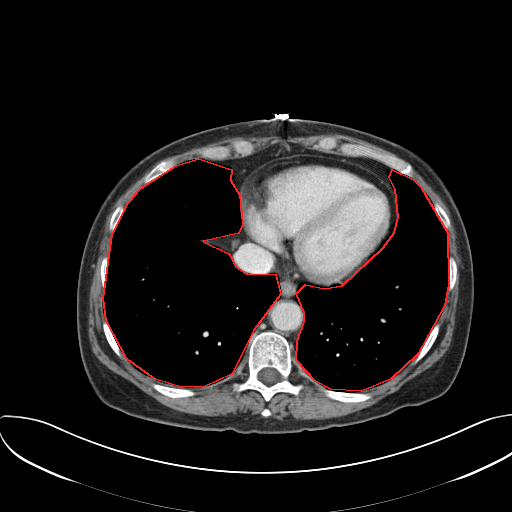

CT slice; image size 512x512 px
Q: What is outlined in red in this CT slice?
A: red: thoracic cavity.
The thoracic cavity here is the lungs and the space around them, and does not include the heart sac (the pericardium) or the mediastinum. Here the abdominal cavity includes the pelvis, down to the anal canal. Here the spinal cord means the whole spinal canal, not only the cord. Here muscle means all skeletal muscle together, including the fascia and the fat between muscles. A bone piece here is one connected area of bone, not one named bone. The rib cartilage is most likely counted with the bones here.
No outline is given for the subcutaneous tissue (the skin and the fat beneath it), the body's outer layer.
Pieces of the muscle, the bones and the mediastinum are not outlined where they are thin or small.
{"thoracic_cavity":[[[198,158],[231,169],[230,180],[239,194],[242,224],[238,233],[203,241],[228,253],[235,266],[246,273],[275,274],[280,294],[253,330],[231,374],[205,386],[181,387],[155,379],[127,359],[106,320],[103,298],[112,234],[129,201],[140,188],[176,165]],[[392,169],[413,179],[420,186],[447,232],[448,284],[444,305],[417,354],[390,379],[361,391],[330,389],[315,381],[296,360],[297,341],[304,321],[304,312],[296,293],[305,284],[324,288],[342,285],[383,247],[394,232],[398,217],[395,189],[389,177]]],"abdominal_cavity":[[[239,233],[239,235],[240,236],[240,241],[237,245],[236,248],[232,252],[231,255],[228,252],[221,249],[219,247],[215,245],[209,244],[204,241],[204,240],[207,240],[208,239],[211,239],[212,238],[222,238],[224,236],[226,236],[227,235],[235,235]]],"muscle":[[[155,164],[144,176],[143,185],[126,205],[117,205],[111,213],[108,226],[111,233],[109,250],[108,254],[101,258],[99,274],[105,318],[101,326],[105,339],[119,358],[127,360],[142,373],[163,383],[151,384],[157,392],[171,398],[192,397],[197,392],[189,388],[217,383],[231,375],[244,361],[247,375],[243,380],[232,382],[231,388],[234,393],[253,390],[258,392],[266,403],[277,393],[297,397],[304,384],[290,380],[295,359],[315,382],[329,389],[322,391],[326,397],[344,403],[358,403],[372,397],[370,392],[362,391],[390,380],[410,363],[412,365],[418,363],[430,350],[439,334],[438,320],[447,293],[455,285],[458,267],[455,258],[449,255],[447,231],[450,229],[449,216],[437,201],[433,203],[431,201],[414,179],[413,167],[446,204],[456,231],[461,269],[455,324],[448,349],[429,368],[396,391],[370,406],[337,417],[280,420],[268,417],[272,412],[267,406],[260,412],[264,417],[250,415],[217,417],[191,414],[162,404],[99,361],[91,349],[88,338],[89,291],[98,243],[107,215],[114,202]],[[330,133],[331,134],[337,133],[352,136],[377,145],[393,153],[377,150],[360,143],[355,143],[349,141],[339,141],[334,136],[324,136],[312,144],[311,146],[312,149],[293,142],[282,141],[276,142],[257,152],[255,152],[255,145],[251,141],[245,139],[237,139],[234,140],[229,145],[222,144],[214,146],[206,146],[198,151],[199,157],[188,159],[179,163],[173,158],[162,159],[227,137],[234,136],[304,137]]],"torso":[[[272,118],[326,120],[361,128],[426,155],[439,168],[464,221],[474,268],[469,336],[453,383],[444,394],[420,405],[406,406],[363,423],[299,433],[200,431],[147,421],[106,405],[84,371],[75,319],[81,254],[102,201],[126,170],[167,142],[216,125]]],"pericardium":[[[302,155],[317,155],[343,159],[369,168],[388,185],[396,205],[397,217],[391,235],[382,247],[357,272],[342,284],[330,287],[316,286],[304,283],[291,277],[271,252],[263,245],[250,239],[244,233],[241,216],[241,185],[249,173],[274,160]]],"spinal_cord":[[[264,368],[273,368],[274,369],[275,369],[279,373],[279,374],[280,375],[280,379],[278,381],[277,381],[275,383],[274,383],[271,385],[267,385],[266,384],[265,384],[264,383],[263,383],[258,378],[258,374],[259,373],[259,372],[262,369],[263,369]]],"mediastinum":[[[242,228],[250,240],[263,246],[277,259],[291,278],[304,284],[295,293],[295,299],[303,312],[303,321],[296,341],[296,359],[292,356],[292,346],[283,335],[272,330],[252,334],[281,292],[275,273],[246,272],[234,263],[231,256],[241,241]],[[282,142],[293,143],[321,153],[369,159],[383,163],[391,169],[388,177],[394,189],[395,202],[389,185],[369,167],[343,158],[302,154],[274,159],[249,172],[240,185],[240,210],[240,194],[236,184],[231,180],[233,177],[232,169],[211,161],[245,158]]],"bones":[{"outer":[[263,331],[272,331],[283,336],[291,346],[292,371],[289,380],[295,384],[303,384],[303,388],[297,396],[287,392],[277,392],[266,402],[263,396],[256,390],[247,389],[239,393],[233,391],[233,382],[243,381],[248,375],[246,361],[249,340],[252,335]],"hole":[[264,368],[273,368],[274,369],[275,369],[279,373],[279,374],[280,375],[280,379],[278,381],[277,381],[275,383],[274,383],[271,385],[267,385],[266,384],[265,384],[264,383],[263,383],[258,378],[258,374],[259,373],[259,372],[262,369],[263,369]]},[[324,137],[334,137],[339,142],[349,142],[355,144],[360,144],[377,151],[393,154],[411,165],[413,169],[413,178],[391,168],[379,160],[370,157],[344,155],[338,153],[336,149],[334,150],[323,150],[322,151],[313,149],[312,148],[313,144]],[[237,140],[245,140],[251,142],[254,145],[254,152],[249,155],[237,156],[234,153],[232,153],[228,158],[225,159],[208,159],[207,158],[202,158],[200,157],[199,151],[206,147],[214,147],[215,146],[221,146],[222,145],[228,145],[229,146],[234,141]],[[324,390],[333,390],[334,391],[340,391],[341,392],[365,392],[366,393],[370,393],[371,394],[371,397],[366,400],[364,400],[363,401],[359,401],[358,402],[344,402],[343,401],[339,401],[338,400],[335,400],[334,399],[332,399],[326,396],[323,392]],[[153,383],[159,383],[160,384],[163,384],[164,385],[170,386],[171,387],[180,387],[181,388],[188,388],[189,389],[191,389],[195,391],[196,393],[192,396],[187,396],[186,397],[171,397],[170,396],[167,396],[157,391],[152,386],[152,384]],[[167,159],[173,159],[177,163],[177,164],[176,164],[170,170],[169,170],[167,172],[166,172],[165,173],[154,178],[149,182],[144,184],[143,183],[143,180],[144,179],[145,176],[156,165],[156,164],[157,164],[160,161],[161,161],[162,160],[166,160]],[[437,322],[439,324],[439,331],[438,332],[438,334],[434,342],[432,344],[431,347],[426,353],[426,354],[418,362],[414,364],[412,364],[411,363],[412,360],[418,354],[418,353],[422,348],[428,336],[430,334],[432,329],[434,327],[435,324]],[[104,321],[106,321],[112,333],[112,335],[117,345],[119,347],[119,349],[124,355],[126,359],[123,359],[119,357],[113,351],[113,350],[109,345],[106,339],[105,334],[103,331],[103,327],[102,326],[102,324]],[[449,256],[452,256],[454,258],[454,259],[455,260],[455,262],[456,263],[456,266],[457,267],[457,274],[456,275],[456,279],[455,280],[455,282],[454,283],[454,285],[453,286],[453,287],[452,288],[452,289],[449,292],[448,292],[448,285],[449,284]],[[119,205],[122,205],[124,207],[124,209],[123,210],[122,215],[121,216],[121,217],[120,218],[115,229],[112,232],[112,233],[111,232],[110,232],[110,231],[109,230],[109,226],[110,225],[110,219],[111,218],[112,213],[117,207],[117,206],[118,206]],[[435,202],[437,202],[443,208],[446,214],[448,216],[448,218],[449,219],[449,229],[448,230],[447,230],[444,227],[444,226],[442,224],[442,223],[440,221],[440,220],[438,218],[436,214],[436,212],[434,208],[434,205],[433,204]],[[105,255],[107,255],[108,257],[108,262],[107,263],[107,276],[106,277],[106,281],[105,282],[105,287],[104,289],[103,289],[102,287],[102,284],[101,283],[101,275],[100,274],[100,268],[101,267],[101,261],[102,260],[102,258]]]}